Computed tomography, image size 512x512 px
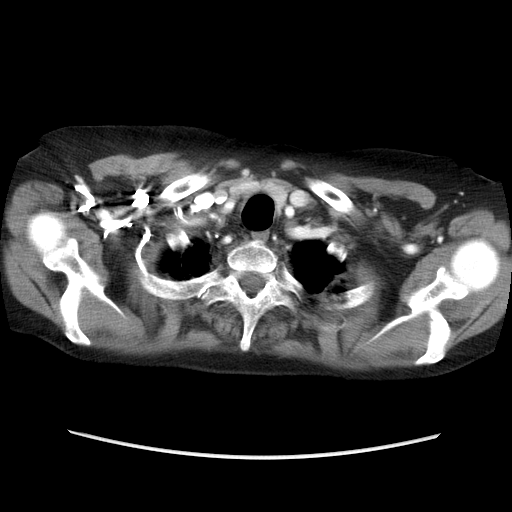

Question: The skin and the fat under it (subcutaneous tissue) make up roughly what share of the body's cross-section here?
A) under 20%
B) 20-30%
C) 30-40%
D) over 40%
Answer: B) 20-30%
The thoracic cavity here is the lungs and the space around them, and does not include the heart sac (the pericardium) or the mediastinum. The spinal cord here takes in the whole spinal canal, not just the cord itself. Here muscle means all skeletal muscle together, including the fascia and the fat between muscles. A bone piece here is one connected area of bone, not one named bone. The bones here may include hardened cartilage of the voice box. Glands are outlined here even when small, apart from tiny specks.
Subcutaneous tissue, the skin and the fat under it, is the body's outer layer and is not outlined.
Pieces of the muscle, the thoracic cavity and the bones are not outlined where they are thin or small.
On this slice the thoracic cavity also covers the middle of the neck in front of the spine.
The right arm is outlined by 29,151 34,153 39,158 42,163 45,165 52,176 55,183 56,186 57,234 56,237 54,238 54,240 45,248 25,257 0,263 0,238 2,233 2,222 4,215 4,208 6,203 6,198 9,186 19,158. The bones appear in 8 outlined pieces: piece 1: 255,239 261,240 280,258 303,286 305,294 295,312 283,305 268,309 257,321 247,351 239,345 242,316 229,301 205,305 197,297 166,299 148,292 138,279 139,271 144,269 173,280 198,277 223,263 232,248, around a hole outlined by 246,272 253,272 254,273 257,273 258,274 259,274 264,280 264,284 263,285 262,288 261,288 259,290 258,290 257,291 257,292 254,295 253,295 252,296 249,295 241,287 241,285 239,282 239,279; piece 2: 471,238 482,238 494,247 500,259 499,271 488,287 461,299 444,299 438,305 450,328 443,358 431,364 413,363 426,350 430,318 425,312 368,342 388,322 411,311 405,296 429,284 438,268 449,263 458,245; piece 3: 41,210 57,212 66,233 76,239 79,255 100,276 104,293 125,315 123,317 83,288 77,319 91,342 89,346 73,343 64,334 65,325 59,301 67,285 66,276 46,267 41,256 29,243 28,220 32,214; piece 4: 370,280 373,280 375,282 375,290 374,293 371,297 365,302 350,308 345,308 344,309 337,309 336,308 326,309 321,305 320,302 314,296 314,295 318,294 323,291 328,294 339,294 347,289 350,289 359,286; piece 5: 199,171 202,171 209,174 209,176 211,178 211,181 204,187 173,202 170,205 166,205 165,203 166,202 159,196 162,191 165,188 165,187 169,185 175,180 177,180 191,173 194,173 195,172 198,172; piece 6: 306,177 311,177 312,178 318,178 319,179 321,179 324,181 328,182 333,186 341,190 352,201 354,205 354,210 350,214 343,214 336,210 326,201 325,201 322,198 317,195 308,187 306,180 305,179; piece 7: 179,229 181,229 185,232 185,233 190,239 192,244 188,246 183,251 180,251 179,250 176,250 174,251 170,249 170,248 168,246 168,244 166,241 166,234 169,232 172,232 173,231 175,231; piece 8: 331,241 335,241 338,244 342,244 345,247 345,248 347,251 347,254 346,255 346,257 345,258 344,261 343,261 342,262 340,262 333,255 332,255 331,254 329,254 326,251 326,247 327,246 327,245. The torso is outlined by 83,124 186,124 260,143 318,150 405,148 447,155 473,168 478,173 455,199 442,252 471,294 505,314 492,352 435,377 362,382 98,364 14,332 6,312 0,264 45,249 58,234 57,186 31,150 41,134. The thoracic cavity is outlined by 222,183 228,183 233,202 261,189 278,216 290,191 303,190 325,251 344,263 345,289 306,294 257,238 214,248 209,270 198,276 173,279 162,271 166,251 183,252 191,239 205,240 207,222 192,200. The spinal cord is outlined by 246,272 253,272 254,273 257,273 258,274 259,274 264,280 264,284 263,285 262,288 261,288 259,290 258,290 257,291 257,292 254,295 253,295 252,296 249,295 241,287 241,285 239,282 239,279. The left arm is outlined by 479,173 488,178 492,179 498,178 503,190 505,203 508,213 508,227 509,231 511,233 511,291 508,297 508,305 505,313 482,301 471,293 452,270 443,252 443,240 450,220 452,210 456,202 456,199 468,181. The thyroid glands are outlined by 266,180 270,180 277,184 285,185 289,189 288,197 282,207 279,215 277,214 276,203 274,199 261,188 256,189 255,191 245,198 240,197 235,201 233,201 231,199 229,193 229,184 246,181 260,181 262,182. The muscle appears in 2 outlined pieces: piece 1: 171,151 233,157 258,171 290,158 323,172 413,181 452,218 488,208 511,233 505,314 446,354 451,328 439,305 488,288 500,271 495,247 471,237 404,296 410,311 367,341 427,314 415,366 346,371 248,351 268,310 295,313 305,295 326,310 350,309 372,297 376,282 343,286 348,251 321,240 303,189 246,180 192,198 204,240 181,228 165,234 159,268 170,278 146,268 137,274 162,299 232,304 242,352 135,356 91,347 78,319 83,289 126,315 50,209 29,216 26,237 44,266 65,276 63,333 20,302 4,272 6,205 26,180 67,192 96,159; inner edges: 199,171 202,171 209,174 209,176 211,178 211,181 204,187 173,202 170,205 166,205 165,203 166,202 159,196 162,191 165,188 165,187 169,185 175,180 177,180 191,173 194,173 195,172 198,172, then 306,177 311,177 312,178 318,178 319,179 321,179 324,181 328,182 333,186 341,190 352,201 354,205 354,210 350,214 343,214 336,210 326,201 325,201 322,198 317,195 308,187 306,180 305,179, then 342,323 345,323 346,324 346,325 344,327 343,327 342,328 339,328 338,329 335,329 334,328 332,328 331,329 330,329 329,330 326,330 325,329 323,329 322,328 322,326 323,325 324,325 325,324 341,324; piece 2: 239,241 242,241 240,243 232,247 227,251 225,254 225,257 224,258 224,261 223,262 220,263 215,267 210,269 210,264 211,263 211,260 212,259 212,252 214,249 220,248 221,247 227,247 228,246 231,246.